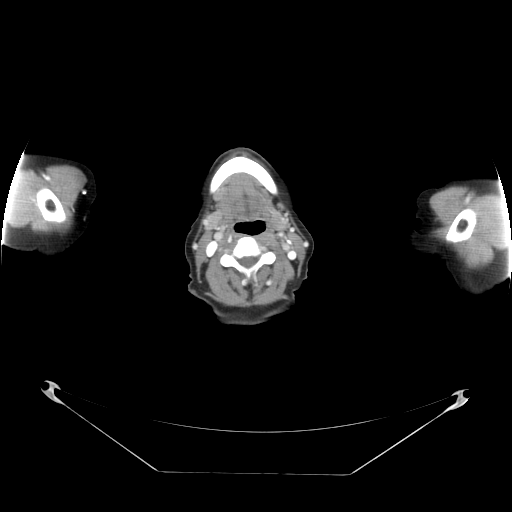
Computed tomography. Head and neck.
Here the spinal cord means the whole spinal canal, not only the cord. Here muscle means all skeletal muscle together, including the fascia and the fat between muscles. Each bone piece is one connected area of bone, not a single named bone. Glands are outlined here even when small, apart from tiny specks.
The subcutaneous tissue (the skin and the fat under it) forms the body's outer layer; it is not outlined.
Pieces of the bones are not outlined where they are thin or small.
{"muscle":[{"outer":[[234,151],[248,152],[262,161],[268,167],[275,180],[284,193],[284,198],[287,203],[287,206],[291,212],[295,222],[308,242],[305,258],[302,264],[301,274],[299,278],[291,286],[291,288],[288,292],[289,297],[287,299],[279,300],[268,305],[252,306],[244,308],[234,306],[225,306],[204,295],[202,290],[200,289],[196,279],[195,262],[191,244],[206,205],[208,182],[215,168],[221,160]],"holes":[[[257,220],[263,222],[264,228],[252,235],[260,245],[265,245],[275,254],[275,260],[258,269],[255,274],[256,283],[250,278],[243,285],[245,276],[234,267],[223,266],[219,260],[225,249],[231,250],[237,240],[246,234],[236,231],[236,224],[252,224]],[[235,156],[245,156],[260,164],[273,178],[277,186],[278,192],[276,194],[271,193],[263,185],[262,185],[255,177],[248,173],[245,172],[236,172],[228,176],[222,182],[219,187],[213,193],[211,193],[209,191],[209,184],[212,176],[216,170],[224,162]],[[272,208],[274,208],[277,210],[279,210],[287,214],[287,216],[289,219],[289,223],[287,227],[281,230],[276,230],[274,229],[273,227],[272,227],[272,225],[270,222],[270,210]],[[216,210],[218,210],[221,212],[221,216],[222,217],[221,219],[221,222],[219,224],[219,228],[218,229],[216,228],[212,228],[211,229],[206,229],[205,226],[202,223],[202,220],[204,218],[206,214],[210,212],[215,211]]]},{"outer":[[452,184],[501,184],[502,188],[504,190],[506,200],[508,204],[508,221],[511,222],[511,268],[508,269],[489,269],[488,270],[470,270],[467,269],[462,264],[449,256],[443,250],[441,250],[438,247],[435,246],[428,233],[430,196],[434,194],[439,188]],"hole":[[467,207],[472,209],[474,211],[475,211],[476,213],[476,224],[474,227],[474,229],[470,237],[466,240],[463,240],[462,241],[459,241],[458,242],[455,242],[454,243],[446,241],[445,240],[445,235],[452,221],[454,219],[456,215],[461,210]]},{"outer":[[50,164],[68,164],[75,166],[79,168],[87,178],[86,189],[76,207],[74,223],[71,229],[64,235],[46,235],[45,234],[36,234],[29,230],[22,228],[14,228],[10,225],[1,222],[2,213],[8,192],[9,184],[16,165],[22,169],[26,169]],"hole":[[43,187],[47,187],[49,188],[56,195],[56,196],[59,199],[64,209],[64,211],[66,214],[66,219],[65,221],[63,222],[50,222],[49,221],[46,221],[43,218],[38,207],[36,205],[36,200],[35,199],[35,194],[36,192],[39,189]]}],"submandibular_glands":[[[272,208],[274,208],[277,210],[279,210],[287,214],[287,216],[289,219],[289,223],[287,227],[281,230],[276,230],[274,229],[273,227],[272,227],[272,225],[270,222],[270,210]],[[216,210],[218,210],[221,212],[221,216],[222,217],[221,219],[221,222],[219,224],[219,228],[218,229],[216,228],[212,228],[211,229],[206,229],[205,226],[202,223],[202,220],[204,218],[206,214],[210,212],[215,211]]],"head_and_neck":[{"outer":[[237,146],[248,147],[258,152],[279,172],[292,191],[299,218],[314,240],[307,277],[301,287],[294,292],[295,305],[275,318],[254,325],[226,325],[218,322],[211,309],[187,289],[190,279],[184,254],[184,241],[197,214],[198,190],[214,160],[222,152]],"hole":[[257,220],[260,220],[262,222],[263,222],[264,224],[264,228],[263,230],[262,231],[260,231],[258,233],[254,233],[253,234],[248,234],[247,233],[244,233],[243,232],[236,231],[235,229],[235,226],[236,224],[238,223],[245,223],[246,224],[252,224]]}],"left_arm":[[[467,176],[499,176],[508,204],[508,221],[511,222],[511,281],[503,282],[501,284],[496,285],[490,291],[478,296],[473,296],[461,291],[443,264],[430,258],[423,258],[418,256],[407,236],[415,200],[418,194],[427,188],[433,187],[452,178]]],"right_arm":[[[22,149],[28,152],[38,152],[77,160],[88,166],[94,174],[97,195],[91,205],[92,211],[91,219],[81,239],[76,247],[71,251],[67,251],[52,258],[45,258],[33,251],[30,252],[18,251],[4,246],[3,244],[0,243],[2,213],[9,184]]],"bones":[{"outer":[[246,234],[254,236],[260,245],[265,245],[271,250],[275,254],[275,260],[271,264],[264,264],[258,269],[255,274],[256,283],[250,278],[247,283],[243,285],[242,280],[245,276],[234,267],[223,266],[219,260],[225,249],[231,250],[236,244],[237,240]],"hole":[[249,256],[257,256],[258,257],[258,258],[257,259],[257,260],[252,265],[251,265],[249,267],[246,267],[245,266],[244,266],[243,265],[242,265],[237,260],[237,259],[238,258],[242,258],[243,257],[248,257]]},[[235,156],[245,156],[260,164],[273,178],[277,186],[278,192],[276,194],[271,193],[263,185],[262,185],[255,177],[248,173],[245,172],[236,172],[228,176],[222,182],[219,187],[213,193],[211,193],[209,191],[209,184],[212,176],[216,170],[224,162]],[[43,187],[47,187],[49,188],[56,195],[56,196],[59,199],[64,209],[64,211],[66,214],[66,219],[65,221],[63,222],[50,222],[49,221],[46,221],[43,218],[38,207],[36,205],[36,200],[35,199],[35,194],[36,192],[39,189]],[[467,207],[472,209],[474,211],[475,211],[476,213],[476,224],[474,227],[474,229],[470,237],[466,240],[463,240],[462,241],[459,241],[458,242],[455,242],[454,243],[446,241],[445,240],[445,235],[452,221],[454,219],[456,215],[461,210]]],"spinal_cord":[[[249,256],[257,256],[258,257],[258,258],[257,259],[257,260],[252,265],[251,265],[249,267],[246,267],[245,266],[244,266],[243,265],[242,265],[237,260],[237,259],[238,258],[242,258],[243,257],[248,257]]]}